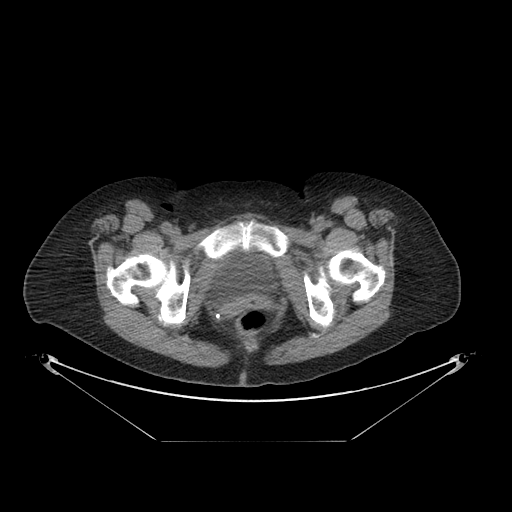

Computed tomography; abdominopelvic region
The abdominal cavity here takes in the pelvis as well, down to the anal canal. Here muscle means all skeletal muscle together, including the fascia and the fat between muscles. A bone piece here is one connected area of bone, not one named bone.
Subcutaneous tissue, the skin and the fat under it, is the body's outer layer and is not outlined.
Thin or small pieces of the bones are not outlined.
The torso is outlined by [[324,170],[371,175],[408,192],[427,210],[458,263],[461,300],[453,317],[387,351],[308,381],[214,386],[140,371],[51,324],[34,322],[27,312],[23,280],[37,249],[74,203],[104,184],[158,175],[184,188],[217,180],[266,179],[300,190],[303,176]]. The bones appear in 3 outlined pieces: piece 1: [[144,253],[166,263],[172,260],[180,281],[183,278],[183,265],[188,264],[190,282],[185,318],[181,323],[167,324],[161,319],[161,303],[155,297],[153,288],[133,286],[132,291],[139,301],[135,305],[124,305],[106,286],[108,267],[116,267],[127,257]]; piece 2: [[345,249],[360,252],[371,262],[381,265],[385,271],[384,282],[368,301],[356,302],[352,298],[359,285],[356,282],[343,284],[329,278],[335,312],[330,324],[323,327],[309,315],[303,274],[306,272],[315,283],[318,268],[323,266],[326,270],[329,259]]; piece 3: [[251,219],[267,225],[276,226],[288,237],[289,244],[287,250],[283,255],[274,257],[256,246],[251,246],[248,249],[244,249],[238,246],[216,259],[207,257],[203,249],[201,247],[197,247],[197,244],[202,239],[219,226],[224,226],[235,221],[247,222]]. The abdominal cavity is outlined by [[243,252],[259,254],[269,259],[277,273],[280,288],[279,307],[274,322],[270,328],[260,337],[252,341],[247,341],[242,339],[236,335],[231,329],[224,326],[212,310],[208,300],[210,284],[212,282],[213,276],[215,274],[215,271],[220,261],[232,253]]. The muscle is outlined by [[345,194],[374,200],[397,218],[391,314],[381,326],[355,343],[301,362],[267,365],[263,356],[268,346],[291,338],[302,327],[292,311],[287,313],[279,329],[252,353],[244,353],[237,341],[217,329],[204,314],[193,333],[232,353],[229,362],[214,368],[183,363],[137,346],[105,324],[96,294],[89,227],[98,213],[111,203],[141,199],[150,207],[160,227],[170,234],[196,230],[244,211],[321,231],[330,216],[332,202]]; inner edges: [[243,252],[259,254],[269,259],[277,273],[280,288],[279,307],[274,322],[270,328],[260,337],[252,341],[247,341],[242,339],[236,335],[231,329],[224,326],[212,310],[208,300],[210,284],[212,282],[213,276],[215,274],[215,271],[220,261],[232,253]], then [[144,253],[166,263],[172,260],[180,281],[183,278],[183,265],[188,264],[190,282],[185,318],[181,323],[167,324],[161,319],[161,303],[155,297],[153,288],[133,286],[132,291],[139,301],[135,305],[124,305],[106,286],[108,267],[116,267],[127,257]], then [[345,249],[360,252],[371,262],[381,265],[385,271],[384,282],[368,301],[356,302],[352,298],[359,285],[356,282],[343,284],[329,278],[335,312],[330,324],[323,327],[309,315],[303,274],[306,272],[315,283],[318,268],[323,266],[326,270],[329,259]], then [[251,219],[267,225],[276,226],[288,237],[289,244],[287,250],[283,255],[274,257],[256,246],[251,246],[248,249],[244,249],[238,246],[216,259],[207,257],[203,249],[201,247],[197,247],[197,244],[202,239],[219,226],[224,226],[235,221],[247,222]].